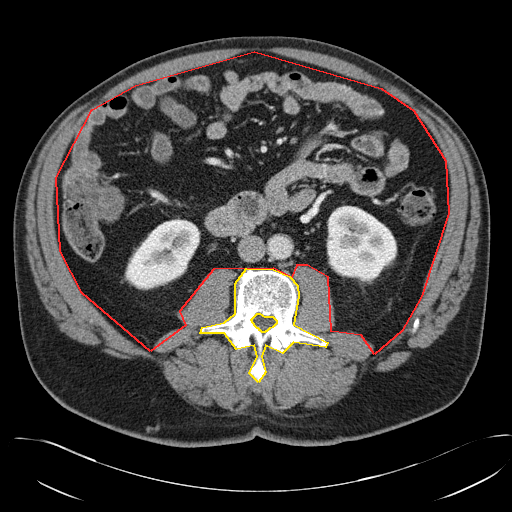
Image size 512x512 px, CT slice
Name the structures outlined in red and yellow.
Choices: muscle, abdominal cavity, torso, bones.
red: abdominal cavity; yellow: bones.
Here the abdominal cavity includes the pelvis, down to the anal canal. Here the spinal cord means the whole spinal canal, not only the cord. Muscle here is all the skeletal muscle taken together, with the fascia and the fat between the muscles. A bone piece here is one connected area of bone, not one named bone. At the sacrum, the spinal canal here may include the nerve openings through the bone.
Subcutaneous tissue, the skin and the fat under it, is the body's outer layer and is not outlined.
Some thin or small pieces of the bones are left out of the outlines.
{"abdominal_cavity":[[[254,51],[381,88],[413,110],[445,160],[448,213],[421,296],[401,331],[374,354],[361,335],[331,331],[328,277],[307,265],[296,265],[291,277],[273,268],[213,269],[179,311],[185,325],[150,351],[82,293],[60,251],[56,177],[92,109],[135,85]]],"bones":[{"outer":[[246,268],[273,269],[289,276],[297,285],[298,296],[293,324],[327,342],[325,347],[293,342],[282,353],[265,345],[261,356],[265,372],[258,382],[249,373],[257,356],[254,345],[236,349],[224,333],[200,333],[202,327],[224,322],[235,313],[235,283]],"hole":[[257,313],[259,313],[264,316],[272,316],[276,320],[276,323],[272,327],[269,328],[266,331],[265,331],[264,332],[262,332],[260,330],[259,330],[259,329],[258,328],[257,328],[254,325],[254,324],[252,322],[252,321],[251,320],[251,319]]}],"spinal_cord":[[[257,313],[259,313],[264,316],[272,316],[276,320],[276,323],[272,327],[269,328],[266,331],[265,331],[264,332],[262,332],[260,330],[259,330],[259,329],[258,328],[257,328],[254,325],[254,324],[252,322],[252,321],[251,320],[251,319]]],"torso":[[[241,35],[316,39],[366,56],[437,102],[473,145],[490,206],[487,301],[476,367],[445,409],[385,433],[328,446],[256,436],[216,446],[173,447],[124,435],[68,411],[35,377],[20,333],[12,227],[20,178],[39,138],[71,102],[129,64],[180,45]]],"muscle":[{"outer":[[252,47],[260,48],[290,47],[326,54],[352,63],[372,75],[401,89],[413,98],[416,102],[424,105],[441,117],[457,134],[469,155],[474,170],[475,181],[479,192],[480,224],[477,234],[478,242],[475,253],[475,266],[472,273],[472,279],[469,288],[460,303],[458,312],[449,322],[445,331],[428,346],[413,348],[411,350],[412,354],[409,359],[399,367],[389,371],[372,370],[366,371],[357,379],[357,383],[344,397],[336,403],[323,409],[306,409],[298,404],[289,409],[281,411],[272,411],[264,404],[256,401],[249,405],[244,410],[236,412],[227,411],[226,409],[219,407],[201,408],[185,401],[171,387],[164,377],[161,369],[153,361],[143,357],[135,357],[133,359],[115,357],[102,352],[99,345],[89,345],[82,343],[71,338],[61,331],[53,319],[53,317],[45,308],[40,299],[27,254],[26,244],[27,231],[25,224],[26,222],[25,214],[27,189],[30,178],[33,169],[35,167],[39,153],[44,144],[57,126],[71,111],[94,97],[103,94],[110,88],[128,77],[159,63],[198,52],[226,48]],"holes":[[[254,51],[360,80],[407,104],[435,138],[450,186],[441,240],[401,331],[374,354],[374,345],[361,335],[331,331],[335,313],[328,277],[296,265],[292,322],[320,335],[327,346],[299,341],[281,353],[265,345],[265,372],[258,382],[249,373],[254,345],[236,349],[224,333],[200,333],[235,313],[234,270],[207,273],[179,311],[185,325],[161,335],[150,351],[120,333],[82,293],[54,223],[60,163],[96,105],[135,85]],[[416,318],[418,318],[419,319],[419,326],[418,327],[418,328],[417,329],[417,330],[415,332],[414,332],[413,333],[412,332],[411,332],[411,329],[412,328],[412,326],[413,325],[413,322],[414,321],[414,320]]]}]}